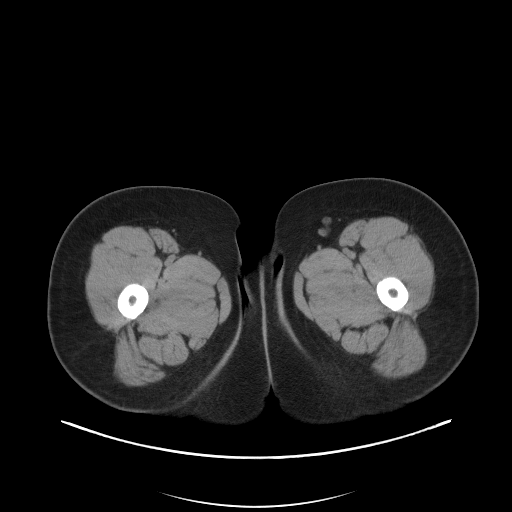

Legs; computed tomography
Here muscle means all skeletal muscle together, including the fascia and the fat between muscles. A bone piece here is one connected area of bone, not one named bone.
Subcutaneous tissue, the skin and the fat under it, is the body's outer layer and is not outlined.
{"bones":[[[134,282],[141,284],[145,287],[148,292],[149,299],[148,300],[148,303],[144,310],[139,315],[138,315],[136,318],[134,319],[128,319],[126,317],[122,315],[122,314],[119,311],[117,307],[117,297],[120,291],[127,284],[129,283],[133,283]],[[386,276],[394,276],[395,277],[397,277],[400,280],[402,281],[402,282],[405,285],[408,291],[408,299],[406,303],[401,309],[401,311],[393,311],[391,309],[390,309],[388,307],[384,305],[378,298],[378,296],[376,293],[376,285],[378,281],[379,281]]],"muscle":[{"outer":[[118,225],[151,226],[168,231],[183,246],[213,261],[221,269],[231,295],[231,311],[226,320],[216,328],[201,355],[174,369],[164,379],[144,387],[129,387],[116,380],[113,375],[114,342],[110,334],[95,321],[85,295],[84,281],[91,249],[104,232]],"hole":[[134,282],[141,284],[145,287],[148,292],[149,299],[148,300],[148,303],[144,310],[139,315],[138,315],[136,318],[134,319],[128,319],[126,317],[122,315],[122,314],[119,311],[117,307],[117,297],[120,291],[127,284],[129,283],[133,283]]},{"outer":[[384,215],[397,217],[413,228],[432,258],[435,276],[431,301],[417,318],[427,346],[426,363],[419,371],[395,380],[375,375],[367,363],[348,357],[332,347],[325,335],[296,307],[292,289],[294,273],[299,263],[317,246],[337,239],[342,229],[355,219]],"hole":[[386,276],[394,276],[395,277],[397,277],[400,280],[402,281],[402,282],[405,285],[408,291],[408,299],[406,303],[401,309],[401,311],[393,311],[391,309],[390,309],[388,307],[384,305],[378,298],[378,296],[376,293],[376,285],[378,281],[379,281]]}],"left_leg":[[[365,176],[386,177],[413,185],[430,195],[450,215],[461,231],[476,267],[479,282],[478,326],[460,364],[426,396],[383,415],[370,415],[355,421],[329,425],[303,424],[282,412],[272,391],[267,395],[265,252],[272,241],[277,213],[292,195],[319,183]]],"right_leg":[{"outer":[[134,185],[189,187],[223,198],[241,220],[237,240],[242,271],[245,274],[265,254],[267,403],[261,415],[250,423],[210,425],[188,418],[157,417],[110,407],[82,389],[67,374],[53,351],[46,300],[50,265],[58,240],[73,216],[89,202],[107,192]],"hole":[[240,280],[241,281],[241,283],[242,284],[242,288],[243,289],[243,290],[244,291],[244,294],[245,295],[245,297],[246,298],[246,301],[244,303],[244,298],[243,297],[243,292],[242,291],[242,289],[241,288],[241,282],[240,281]]}]}